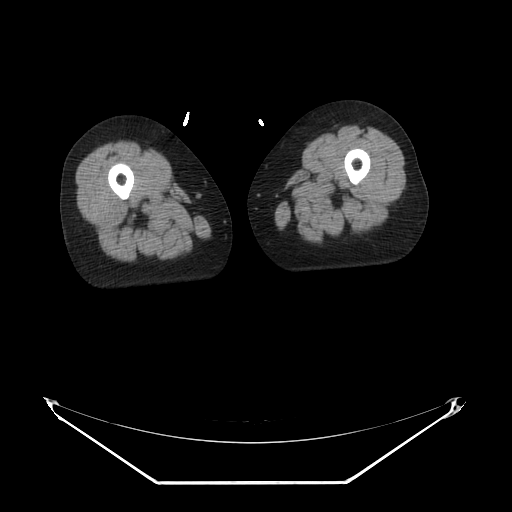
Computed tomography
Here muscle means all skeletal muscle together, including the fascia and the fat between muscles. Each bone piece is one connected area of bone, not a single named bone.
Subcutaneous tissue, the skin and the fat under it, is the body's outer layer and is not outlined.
The left leg is outlined by (341, 99) (359, 99) (375, 104) (393, 116) (405, 129) (412, 141) (428, 192) (429, 209) (427, 221) (423, 233) (415, 247) (407, 256) (396, 263) (351, 269) (297, 273) (286, 272) (270, 261) (256, 241) (247, 213) (248, 191) (253, 177) (265, 156) (298, 118) (321, 104). The muscle appears in 2 outlined pieces: piece 1: (340, 124) (363, 124) (366, 126) (372, 126) (391, 137) (398, 144) (404, 156) (406, 188) (401, 197) (391, 208) (387, 222) (380, 229) (357, 239) (333, 246) (314, 249) (297, 242) (284, 234) (282, 235) (278, 233) (274, 224) (274, 212) (285, 178) (306, 143) (326, 129) with a hole at (353, 148) (361, 148) (365, 150) (369, 154) (369, 156) (370, 157) (370, 169) (368, 173) (366, 175) (366, 176) (358, 184) (356, 185) (354, 184) (352, 184) (350, 182) (347, 176) (347, 174) (345, 171) (345, 169) (344, 168) (344, 157) (346, 153) (350, 149) (352, 149); piece 2: (130, 138) (137, 138) (149, 143) (166, 157) (171, 165) (174, 180) (185, 190) (199, 213) (210, 225) (212, 232) (207, 242) (183, 258) (173, 261) (146, 261) (131, 264) (114, 261) (103, 253) (98, 244) (94, 228) (82, 218) (77, 208) (75, 171) (80, 161) (99, 145), around a hole outlined by (117, 162) (124, 162) (126, 164) (127, 164) (133, 171) (133, 174) (134, 175) (134, 183) (133, 184) (133, 187) (130, 192) (129, 197) (125, 200) (123, 200) (121, 199) (115, 193) (113, 192) (107, 180) (107, 174) (108, 173) (108, 171) (110, 167) (112, 165) (113, 165). The right leg is outlined by (126, 113) (147, 116) (169, 128) (197, 156) (221, 191) (231, 216) (233, 238) (227, 264) (223, 271) (215, 278) (204, 281) (167, 285) (100, 290) (88, 285) (82, 280) (74, 269) (64, 243) (60, 221) (59, 197) (60, 177) (63, 161) (72, 144) (91, 126) (107, 117). The bones appear in 2 outlined pieces: piece 1: (117, 162) (124, 162) (126, 164) (127, 164) (133, 171) (133, 174) (134, 175) (134, 183) (133, 184) (133, 187) (130, 192) (129, 197) (125, 200) (123, 200) (121, 199) (115, 193) (113, 192) (107, 180) (107, 174) (108, 173) (108, 171) (110, 167) (112, 165) (113, 165); piece 2: (353, 148) (361, 148) (365, 150) (369, 154) (369, 156) (370, 157) (370, 169) (368, 173) (366, 175) (366, 176) (358, 184) (356, 185) (354, 184) (352, 184) (350, 182) (347, 176) (347, 174) (345, 171) (345, 169) (344, 168) (344, 157) (346, 153) (350, 149) (352, 149).